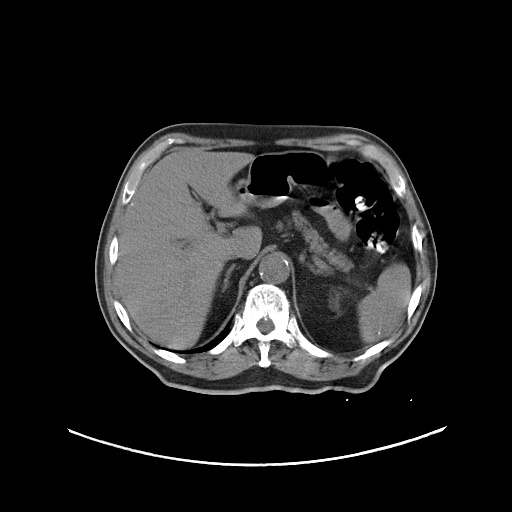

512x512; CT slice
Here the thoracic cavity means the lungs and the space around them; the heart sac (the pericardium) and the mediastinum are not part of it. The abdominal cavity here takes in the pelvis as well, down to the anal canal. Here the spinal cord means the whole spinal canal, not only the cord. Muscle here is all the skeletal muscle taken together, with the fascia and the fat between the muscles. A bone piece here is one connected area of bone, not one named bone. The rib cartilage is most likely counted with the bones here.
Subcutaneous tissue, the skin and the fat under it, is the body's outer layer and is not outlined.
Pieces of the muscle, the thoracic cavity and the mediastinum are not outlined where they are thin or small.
{"muscle":[[[174,132],[207,138],[254,140],[261,143],[272,142],[276,139],[283,138],[313,138],[347,133],[366,137],[384,148],[395,160],[405,177],[423,222],[427,242],[427,257],[430,270],[429,290],[419,317],[408,335],[396,346],[369,363],[358,374],[330,380],[303,379],[278,370],[270,366],[271,361],[268,355],[271,346],[270,344],[275,340],[281,342],[288,348],[293,348],[297,344],[310,355],[317,358],[331,358],[334,354],[339,354],[344,356],[356,355],[351,359],[352,362],[365,360],[388,346],[394,340],[390,336],[398,329],[406,316],[406,321],[409,322],[416,310],[420,302],[422,291],[425,287],[423,281],[415,286],[415,251],[420,255],[423,252],[423,234],[415,223],[411,226],[406,209],[400,199],[406,194],[406,181],[404,177],[376,145],[364,143],[356,138],[342,137],[339,139],[341,142],[348,146],[358,147],[358,151],[352,149],[320,149],[300,145],[261,143],[206,149],[176,147],[163,152],[170,146],[183,142],[181,138],[170,136],[158,142],[143,155],[124,183],[131,166],[138,156],[159,137]],[[123,184],[121,203],[125,207],[117,236],[114,235],[111,238],[108,247],[108,259],[114,267],[113,279],[118,296],[112,304],[122,324],[131,333],[133,326],[153,345],[151,350],[156,355],[176,364],[184,364],[187,361],[182,355],[203,352],[217,355],[231,344],[238,347],[249,339],[255,339],[259,351],[258,366],[221,379],[196,377],[175,371],[157,362],[128,343],[118,332],[110,317],[104,295],[103,253],[107,232]]],"mediastinum":[[[270,252],[278,252],[285,258],[291,270],[292,312],[291,311],[291,302],[286,292],[277,285],[266,282],[258,283],[251,287],[246,292],[242,308],[240,311],[238,311],[245,291],[246,282],[252,270],[254,269],[254,266],[256,265],[262,256]],[[372,159],[373,159],[374,160],[376,160],[383,167],[383,168],[385,170],[385,171],[386,172],[386,173],[387,174],[387,175],[384,172],[384,171],[381,168],[381,167],[379,165],[378,165]]],"spinal_cord":[[[261,319],[263,319],[264,320],[267,320],[268,319],[269,319],[272,322],[272,323],[273,324],[273,329],[272,329],[269,332],[268,332],[267,333],[262,333],[259,330],[259,329],[258,328],[258,327],[257,326],[257,323]]],"thoracic_cavity":[[[230,323],[230,329],[226,335],[218,343],[206,351],[196,352],[191,354],[182,354],[181,355],[178,354],[176,352],[174,352],[176,351],[191,350],[192,349],[199,348],[207,344],[213,340],[214,338],[215,338],[220,332],[221,332],[222,330]]],"torso":[[[183,122],[350,126],[376,134],[400,157],[432,230],[437,252],[437,278],[420,329],[403,352],[383,369],[371,388],[359,393],[326,390],[308,394],[269,390],[210,395],[170,387],[111,333],[98,303],[94,277],[96,247],[103,219],[135,149],[156,130]]],"abdominal_cavity":[[[261,144],[359,152],[380,167],[405,209],[415,258],[406,315],[389,337],[361,353],[333,353],[303,333],[293,313],[292,270],[278,251],[265,253],[253,266],[231,326],[199,347],[173,351],[151,343],[132,325],[119,299],[118,232],[144,170],[176,148]]],"bones":[{"outer":[[262,283],[285,292],[290,313],[295,316],[302,333],[333,356],[317,357],[297,343],[288,347],[275,339],[270,342],[267,354],[270,365],[260,367],[260,351],[255,338],[238,346],[231,343],[217,354],[207,352],[227,335],[235,314],[243,308],[247,292]],"hole":[[261,319],[263,319],[264,320],[267,320],[268,319],[269,319],[272,322],[272,323],[273,324],[273,329],[272,329],[269,332],[268,332],[267,333],[262,333],[259,330],[259,329],[258,328],[258,327],[257,326],[257,323]]},[[342,138],[356,139],[359,140],[364,144],[372,144],[376,146],[387,157],[391,164],[403,177],[405,181],[405,194],[402,197],[399,197],[398,196],[390,183],[389,176],[386,170],[376,159],[364,156],[359,151],[359,147],[358,146],[348,145],[340,140]],[[170,137],[171,138],[181,139],[182,142],[181,143],[174,143],[170,145],[143,170],[139,178],[139,181],[136,186],[134,193],[129,201],[126,204],[123,204],[122,203],[122,194],[124,184],[135,170],[138,163],[144,155],[158,143],[164,141],[167,138]],[[388,338],[392,338],[393,340],[388,345],[387,345],[379,352],[375,354],[373,354],[367,357],[365,359],[362,359],[361,360],[358,360],[357,361],[352,361],[352,359],[355,356],[359,354],[361,354],[371,346],[383,340],[385,340]],[[422,282],[423,282],[424,284],[424,287],[421,291],[421,294],[420,295],[419,302],[415,310],[413,312],[412,315],[410,317],[410,319],[409,321],[407,321],[407,308],[408,307],[408,303],[409,302],[410,297],[412,294],[412,292],[414,288],[418,284]],[[153,347],[156,347],[157,348],[161,348],[162,349],[165,349],[166,350],[171,351],[174,353],[176,353],[181,357],[183,357],[186,361],[184,363],[176,363],[175,362],[173,362],[172,361],[167,360],[159,356],[157,354],[156,354],[152,350],[152,348]],[[114,300],[118,300],[124,308],[129,318],[129,321],[130,322],[130,324],[132,328],[132,332],[129,331],[127,329],[127,328],[123,324],[120,318],[118,316],[116,312],[116,310],[114,307],[114,305],[113,304],[113,301]],[[413,224],[415,224],[416,225],[418,230],[422,234],[422,241],[421,242],[421,246],[422,247],[422,252],[421,253],[421,254],[420,254],[418,251],[416,251],[415,250],[414,250],[414,248],[413,247],[413,244],[412,243],[412,238],[411,237],[411,227]],[[114,236],[116,236],[117,237],[117,258],[116,259],[116,260],[115,261],[115,263],[113,265],[112,265],[110,263],[110,260],[109,259],[109,247],[110,246],[110,244],[111,243],[111,241],[112,240],[112,238]]]}